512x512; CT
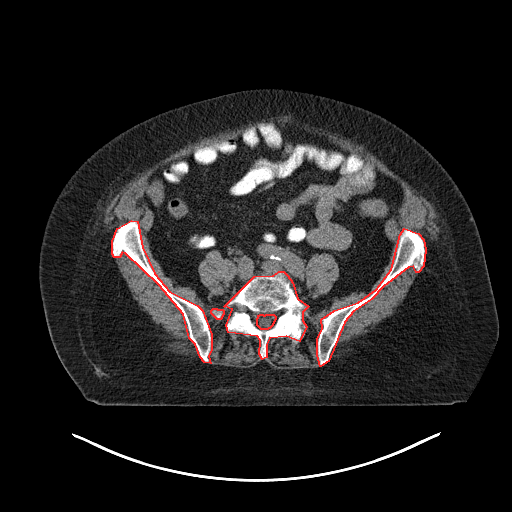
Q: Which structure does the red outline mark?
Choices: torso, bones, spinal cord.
A: red: bones.
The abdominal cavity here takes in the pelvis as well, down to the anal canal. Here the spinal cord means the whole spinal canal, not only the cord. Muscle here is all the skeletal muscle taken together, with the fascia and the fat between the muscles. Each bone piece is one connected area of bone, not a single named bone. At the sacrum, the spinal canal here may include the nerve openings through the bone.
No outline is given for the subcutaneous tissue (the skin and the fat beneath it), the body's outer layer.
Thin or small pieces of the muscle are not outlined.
The bones appear in 4 outlined pieces: piece 1: [[279,271],[283,271],[287,275],[292,282],[297,298],[308,306],[302,312],[302,320],[306,326],[299,341],[286,336],[269,338],[266,344],[266,357],[262,359],[259,354],[260,340],[257,336],[228,332],[226,325],[232,309],[224,306],[254,276],[273,275]], around a hole outlined by [[260,314],[262,314],[263,315],[265,315],[266,314],[273,314],[275,316],[275,319],[274,320],[274,321],[273,322],[273,323],[272,324],[272,325],[269,328],[268,328],[267,329],[261,329],[257,325],[257,318],[258,317],[258,315],[259,315]]; piece 2: [[131,220],[137,221],[142,247],[154,273],[169,291],[197,305],[202,310],[211,334],[211,349],[208,356],[210,363],[204,362],[200,357],[195,344],[189,338],[183,314],[159,285],[125,253],[122,252],[119,257],[114,257],[112,254],[112,241],[117,228]]; piece 3: [[404,228],[418,233],[423,239],[425,249],[423,266],[418,272],[416,272],[413,266],[408,267],[383,286],[371,299],[353,311],[344,322],[328,361],[320,366],[317,355],[317,339],[322,328],[321,319],[334,310],[358,302],[376,289],[391,269],[400,234]]; piece 4: [[213,308],[216,308],[217,309],[222,309],[223,310],[223,314],[222,315],[222,316],[221,317],[221,318],[220,319],[217,319],[211,313],[211,310]]. The muscle appears in 5 outlined pieces: piece 1: [[275,116],[289,116],[301,124],[307,124],[309,126],[337,134],[357,144],[363,145],[368,151],[381,160],[390,170],[406,181],[420,195],[423,196],[433,205],[437,213],[437,222],[436,223],[438,227],[437,237],[436,239],[430,241],[425,248],[424,239],[418,232],[407,227],[404,227],[401,230],[396,246],[395,255],[390,269],[375,289],[367,296],[358,301],[334,309],[320,319],[321,328],[317,334],[316,339],[316,355],[319,366],[318,367],[277,369],[273,368],[264,360],[260,361],[251,367],[233,367],[210,364],[211,361],[209,356],[212,349],[212,334],[210,325],[205,317],[203,310],[197,304],[169,290],[155,273],[146,256],[141,238],[141,232],[137,220],[131,219],[123,222],[116,228],[111,241],[111,254],[110,253],[111,252],[110,245],[111,234],[108,231],[106,224],[104,222],[105,209],[110,200],[120,189],[138,173],[150,167],[160,160],[164,159],[180,148],[184,147],[189,142],[194,142],[201,138],[207,137],[228,129],[237,128],[249,122],[254,122],[263,118]]; inner edges: [[268,122],[323,136],[363,158],[395,180],[403,197],[384,225],[391,251],[370,290],[335,296],[320,309],[309,305],[302,312],[301,339],[269,338],[262,359],[257,336],[228,332],[231,308],[205,303],[165,274],[148,239],[154,213],[142,199],[159,168]], then [[213,308],[216,308],[217,309],[222,309],[223,310],[223,314],[222,315],[222,316],[221,317],[221,318],[220,319],[217,319],[211,313],[211,310]]; piece 2: [[122,253],[125,254],[148,275],[179,309],[186,324],[188,338],[194,344],[198,355],[201,359],[188,358],[175,354],[167,351],[161,345],[161,332],[159,324],[146,312],[141,310],[137,302],[132,297],[127,284],[122,277],[114,261],[114,258],[119,258]]; piece 3: [[410,267],[413,267],[415,272],[418,273],[417,276],[404,299],[395,309],[393,314],[384,318],[377,324],[373,330],[366,332],[358,340],[352,342],[343,352],[342,357],[328,362],[332,350],[338,342],[339,335],[344,324],[351,314],[371,300],[383,287]]; piece 4: [[212,250],[217,250],[220,253],[223,258],[230,260],[235,267],[235,274],[233,276],[233,278],[231,281],[228,283],[226,288],[223,291],[223,292],[220,294],[216,294],[206,287],[202,283],[198,272],[198,266],[200,262],[204,259],[206,254]]; piece 5: [[323,253],[327,253],[333,256],[339,268],[339,275],[337,279],[334,282],[333,285],[331,287],[330,287],[325,292],[324,294],[319,294],[315,296],[312,296],[306,283],[307,281],[306,279],[306,266],[308,263],[308,261],[314,254],[322,254]]. The spinal cord is outlined by [[260,314],[262,314],[263,315],[265,315],[266,314],[273,314],[275,316],[275,319],[274,320],[274,321],[273,322],[273,323],[272,324],[272,325],[269,328],[268,328],[267,329],[261,329],[257,325],[257,318],[258,317],[258,315],[259,315]]. The abdominal cavity is outlined by [[268,122],[323,136],[401,187],[398,211],[384,225],[392,244],[389,259],[367,293],[335,296],[316,309],[298,298],[292,280],[279,270],[254,275],[225,303],[207,304],[190,286],[174,285],[154,257],[148,239],[154,213],[142,200],[149,177],[199,148]] with a hole at [[212,250],[217,250],[220,253],[223,258],[230,260],[235,267],[235,274],[233,276],[233,278],[231,281],[228,283],[226,288],[223,291],[223,292],[220,294],[216,294],[206,287],[202,283],[198,272],[198,266],[200,262],[204,259],[206,254]]. The torso is outlined by [[260,87],[320,94],[361,106],[385,117],[421,143],[461,190],[482,241],[499,321],[499,333],[493,350],[465,401],[450,405],[412,406],[99,405],[85,399],[67,374],[48,333],[38,283],[39,252],[45,224],[67,180],[95,150],[136,123],[186,103]].